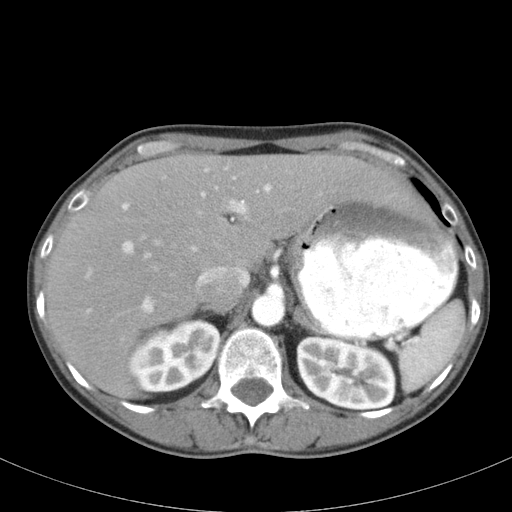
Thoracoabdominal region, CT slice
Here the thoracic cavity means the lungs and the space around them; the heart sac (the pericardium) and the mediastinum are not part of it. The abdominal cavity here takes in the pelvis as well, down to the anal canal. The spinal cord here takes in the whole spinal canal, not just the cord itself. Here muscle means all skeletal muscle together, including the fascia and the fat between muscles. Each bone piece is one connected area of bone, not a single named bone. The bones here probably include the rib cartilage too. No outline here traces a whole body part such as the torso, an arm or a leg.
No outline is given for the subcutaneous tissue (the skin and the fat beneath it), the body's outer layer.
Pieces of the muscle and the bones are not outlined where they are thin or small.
{"abdominal_cavity":[[[261,144],[353,153],[403,170],[455,230],[467,264],[469,319],[451,361],[415,397],[353,411],[314,399],[283,365],[272,336],[255,326],[226,338],[216,369],[197,391],[149,405],[100,391],[62,351],[46,315],[46,266],[61,229],[96,186],[140,158]]],"spinal_cord":[[[245,378],[247,378],[248,379],[251,379],[252,378],[259,378],[260,379],[263,379],[271,386],[272,390],[271,392],[263,400],[262,400],[257,404],[255,405],[250,405],[249,404],[247,404],[238,397],[237,397],[232,391],[232,388],[240,380],[244,379]]],"bones":[{"outer":[[245,327],[261,329],[275,341],[282,357],[282,386],[289,395],[306,402],[308,409],[294,406],[286,410],[281,408],[274,413],[265,412],[251,428],[241,412],[227,411],[224,403],[219,409],[200,405],[213,396],[220,386],[217,362],[222,346],[235,330]],"hole":[[245,378],[247,378],[248,379],[251,379],[252,378],[259,378],[260,379],[263,379],[271,386],[272,390],[271,392],[263,400],[262,400],[257,404],[255,405],[250,405],[249,404],[247,404],[238,397],[237,397],[232,391],[232,388],[240,380],[244,379]]},[[344,141],[357,141],[358,142],[364,142],[373,146],[375,146],[378,148],[380,148],[383,150],[392,152],[402,157],[405,160],[406,165],[404,167],[401,167],[392,163],[390,163],[369,153],[366,153],[357,150],[343,149],[339,147],[339,145]],[[151,140],[169,140],[170,141],[178,143],[179,145],[176,148],[172,150],[170,150],[169,151],[164,151],[163,152],[161,152],[154,155],[151,155],[150,156],[146,156],[144,157],[137,153],[136,151],[136,147],[141,143],[143,143],[147,141],[150,141]],[[81,189],[85,189],[90,192],[90,193],[89,194],[89,199],[88,200],[87,203],[83,207],[82,207],[80,209],[78,209],[75,211],[69,211],[67,209],[67,206],[68,205],[68,204],[69,203],[70,200],[72,198],[72,197],[78,191],[79,191]],[[444,202],[447,202],[450,205],[451,205],[451,206],[455,211],[455,213],[458,219],[458,222],[456,225],[451,225],[450,223],[443,216],[442,214],[442,212],[441,211],[441,207],[440,206],[440,204],[442,204]],[[66,361],[69,361],[69,362],[77,370],[77,371],[87,381],[87,382],[91,386],[92,386],[92,388],[91,389],[87,389],[85,387],[84,387],[82,385],[81,385],[76,381],[76,380],[73,377],[72,374],[68,369],[68,367],[66,365]],[[450,362],[452,363],[452,367],[450,369],[450,370],[448,372],[447,375],[444,378],[444,379],[437,386],[436,386],[433,389],[432,389],[430,391],[426,391],[426,388],[427,388],[428,386],[442,372],[442,371],[446,367],[446,366],[448,365],[448,364]]],"thoracic_cavity":[[[414,177],[417,178],[420,181],[421,181],[435,196],[439,202],[440,211],[442,216],[450,225],[447,225],[444,223],[444,222],[442,221],[441,219],[440,219],[432,208],[432,206],[428,200],[426,199],[418,188],[416,187],[413,181],[413,178]]],"muscle":[{"outer":[[341,130],[354,130],[372,135],[378,139],[388,142],[401,149],[421,165],[433,177],[456,205],[481,257],[483,267],[483,299],[482,300],[483,304],[483,319],[480,329],[461,368],[450,383],[432,401],[410,418],[400,422],[383,432],[364,440],[360,440],[357,442],[345,445],[338,445],[330,448],[326,447],[323,449],[318,450],[301,450],[300,451],[286,451],[279,449],[265,449],[260,447],[243,447],[242,448],[225,449],[218,451],[204,451],[203,450],[186,450],[183,448],[179,448],[174,446],[168,446],[151,440],[134,432],[103,412],[81,394],[69,382],[62,373],[53,358],[43,338],[35,318],[34,313],[34,293],[33,292],[33,287],[34,286],[33,282],[34,274],[33,271],[34,270],[34,259],[37,248],[41,239],[48,229],[64,201],[77,186],[83,182],[107,159],[123,147],[138,138],[148,135],[155,135],[167,132],[185,132],[192,134],[218,136],[227,138],[244,138],[245,139],[255,139],[256,140],[267,140],[268,139],[288,138],[296,136],[318,135],[319,134],[332,133]],"holes":[[[151,140],[179,144],[155,156],[261,144],[302,152],[353,153],[403,170],[421,181],[440,204],[451,205],[458,219],[452,227],[475,256],[476,268],[466,265],[468,293],[480,311],[472,327],[468,320],[444,379],[430,391],[424,389],[393,405],[390,412],[367,418],[359,410],[345,411],[310,397],[285,364],[283,388],[309,408],[265,412],[252,428],[241,412],[227,411],[224,403],[219,409],[200,405],[220,386],[216,369],[197,391],[150,404],[155,410],[148,413],[131,410],[119,399],[78,383],[47,316],[43,320],[37,311],[36,298],[44,289],[49,257],[40,256],[41,248],[49,234],[55,241],[74,214],[67,206],[78,191],[91,194],[107,176],[143,158],[136,147]],[[344,141],[357,141],[358,142],[364,142],[373,146],[375,146],[378,148],[380,148],[383,150],[392,152],[402,157],[405,160],[406,165],[404,167],[401,167],[392,163],[390,163],[369,153],[366,153],[357,150],[343,149],[339,147],[339,145]]]}]}